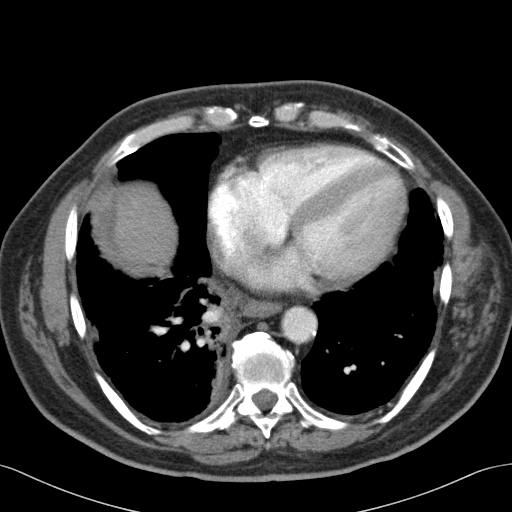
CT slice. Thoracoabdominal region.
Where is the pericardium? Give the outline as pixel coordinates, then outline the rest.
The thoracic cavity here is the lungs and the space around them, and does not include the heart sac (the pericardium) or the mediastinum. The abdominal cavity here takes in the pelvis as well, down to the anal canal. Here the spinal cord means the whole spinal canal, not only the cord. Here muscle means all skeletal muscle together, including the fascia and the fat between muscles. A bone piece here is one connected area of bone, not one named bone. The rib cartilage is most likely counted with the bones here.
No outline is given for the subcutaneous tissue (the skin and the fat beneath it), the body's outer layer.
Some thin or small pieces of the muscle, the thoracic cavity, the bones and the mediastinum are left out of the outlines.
{"pericardium":[[[294,139],[322,139],[367,147],[399,166],[401,174],[409,186],[405,224],[397,243],[393,245],[385,261],[350,289],[325,293],[317,299],[301,293],[287,296],[267,296],[257,292],[249,292],[213,265],[207,244],[208,192],[218,172],[236,154],[256,144]]],"thoracic_cavity":[[[206,132],[220,137],[205,186],[208,279],[233,320],[235,381],[206,416],[159,423],[140,419],[98,362],[78,294],[78,225],[83,213],[89,215],[98,255],[114,270],[135,280],[171,277],[180,242],[172,207],[155,181],[120,181],[114,166],[159,137]],[[420,187],[435,207],[443,234],[437,317],[429,347],[395,402],[383,412],[373,417],[350,415],[339,419],[330,416],[315,408],[292,380],[296,363],[299,366],[312,349],[318,331],[313,304],[325,294],[347,292],[383,263],[393,260],[407,225],[410,193]]],"spinal_cord":[[[263,389],[266,389],[267,390],[270,391],[276,396],[276,401],[275,402],[275,403],[270,409],[269,409],[266,411],[264,411],[263,410],[260,409],[255,404],[255,403],[253,401],[253,396],[255,394],[256,394],[258,392],[259,392],[261,390],[262,390]]],"abdominal_cavity":[[[113,167],[117,170],[115,175],[120,182],[133,179],[145,179],[155,182],[171,207],[179,232],[179,242],[171,267],[171,276],[162,279],[157,277],[135,279],[114,269],[109,263],[100,257],[98,248],[91,236],[90,215],[84,211],[90,194],[100,180]]],"torso":[[[281,79],[336,82],[387,101],[419,123],[488,199],[511,236],[511,331],[499,366],[473,405],[433,438],[395,458],[349,473],[294,481],[238,483],[170,476],[119,462],[51,423],[22,387],[0,329],[3,236],[46,178],[100,124],[125,106],[180,88]]],"bones":[{"outer":[[254,331],[268,333],[293,354],[295,366],[291,380],[315,409],[349,425],[335,430],[314,425],[303,428],[295,409],[282,416],[267,439],[247,416],[240,416],[226,430],[183,432],[187,426],[209,415],[228,396],[236,381],[231,367],[232,342]],"hole":[[263,389],[266,389],[267,390],[270,391],[276,396],[276,401],[275,402],[275,403],[270,409],[269,409],[266,411],[264,411],[263,410],[260,409],[255,404],[255,403],[253,401],[253,396],[255,394],[256,394],[258,392],[259,392],[261,390],[262,390]]},[[312,110],[321,110],[336,114],[360,125],[368,132],[375,132],[385,136],[411,159],[415,168],[410,171],[402,167],[385,154],[376,150],[362,138],[359,133],[352,130],[346,130],[339,127],[307,127],[305,129],[302,128],[301,122],[306,120],[307,114]],[[185,115],[191,115],[195,117],[194,128],[181,132],[169,133],[159,136],[144,144],[135,151],[124,156],[118,160],[113,166],[108,166],[107,165],[107,161],[111,154],[119,146],[123,139],[130,133],[138,131],[151,123],[155,123],[165,119],[175,118]],[[434,347],[436,348],[436,352],[435,353],[435,356],[434,357],[433,362],[425,378],[408,402],[400,410],[400,411],[389,421],[385,423],[372,423],[372,422],[375,419],[383,415],[394,405],[400,396],[403,389],[411,379],[419,367],[422,360],[428,351]],[[94,371],[97,371],[104,377],[107,382],[123,400],[131,411],[133,412],[140,420],[148,425],[150,425],[157,429],[161,430],[162,433],[160,434],[153,434],[152,435],[147,434],[143,431],[138,429],[126,420],[117,411],[103,393],[98,382],[94,376]],[[214,105],[232,108],[238,114],[237,120],[236,120],[230,127],[224,129],[221,128],[215,128],[214,127],[208,127],[206,129],[200,129],[198,128],[198,126],[204,122],[202,118],[203,115],[203,108],[205,106],[213,106]],[[73,204],[75,204],[77,207],[77,217],[78,218],[77,219],[78,220],[78,224],[77,225],[77,239],[76,240],[76,246],[75,247],[75,255],[71,261],[68,261],[66,257],[66,253],[65,252],[65,227],[66,226],[67,217],[68,216],[70,208]],[[297,101],[303,101],[305,103],[305,105],[301,109],[301,111],[296,120],[294,121],[291,121],[290,122],[287,122],[286,123],[280,123],[278,121],[276,121],[273,118],[273,110],[274,108],[282,104],[284,104],[285,103],[289,103],[290,102],[296,102]],[[439,195],[445,200],[445,201],[448,204],[451,211],[452,219],[453,220],[453,232],[452,233],[452,236],[450,239],[448,239],[445,236],[444,236],[444,234],[443,233],[443,229],[441,225],[441,222],[436,210],[436,198],[437,196]],[[71,292],[73,292],[76,295],[79,301],[79,303],[80,304],[80,306],[84,316],[84,319],[86,324],[86,334],[83,339],[80,338],[73,323],[73,320],[71,315],[71,311],[70,310],[70,304],[69,303],[69,296]],[[447,261],[449,262],[450,266],[451,267],[452,282],[451,283],[451,291],[450,292],[449,299],[448,300],[447,304],[445,306],[439,299],[439,284],[440,283],[440,278],[441,277],[441,272],[442,271],[442,268],[443,267],[443,265],[444,263]]],"mediastinum":[[[210,257],[214,267],[249,293],[267,297],[287,297],[301,294],[314,300],[320,298],[312,304],[318,322],[315,338],[311,349],[299,365],[294,354],[266,331],[254,330],[232,341],[234,320],[226,312],[221,298],[216,293],[216,286],[209,279],[212,272]],[[240,123],[253,128],[265,127],[271,123],[304,130],[309,128],[339,128],[359,136],[375,150],[359,144],[322,138],[261,141],[243,149],[229,159],[217,172],[208,191],[206,186],[209,168],[218,153],[221,137],[213,131],[182,132],[195,128],[224,130]],[[400,166],[402,168],[411,172],[415,179],[417,180],[417,182],[421,186],[421,187],[420,186],[419,187],[416,187],[412,189],[410,191],[409,195],[409,189],[410,188],[410,186],[408,185],[408,183],[406,180],[406,178],[402,174],[402,170],[400,168]]],"muscle":[[[305,102],[359,114],[396,135],[457,190],[499,266],[502,306],[496,322],[445,393],[401,429],[359,448],[296,457],[266,449],[246,461],[210,465],[181,452],[152,449],[124,438],[58,386],[23,336],[17,306],[28,256],[62,196],[90,173],[114,143],[148,123],[122,139],[108,157],[106,165],[112,167],[89,194],[79,222],[78,207],[73,203],[64,227],[65,257],[71,262],[75,256],[78,298],[73,291],[68,296],[72,323],[80,339],[85,338],[87,330],[89,333],[105,376],[97,370],[93,376],[126,421],[152,436],[163,431],[142,420],[159,424],[194,420],[183,433],[209,433],[226,431],[240,417],[247,417],[267,440],[283,416],[295,410],[303,429],[314,426],[335,431],[350,425],[341,417],[373,418],[392,404],[371,422],[385,424],[426,378],[437,352],[435,346],[428,350],[436,328],[437,301],[445,307],[452,291],[452,267],[443,256],[444,237],[450,240],[454,232],[451,208],[439,194],[434,205],[412,173],[416,168],[412,159],[385,135],[321,109],[310,110],[301,127],[282,124],[296,121]],[[276,98],[281,98],[282,99],[287,99],[288,100],[296,101],[285,102],[273,108],[272,110],[272,118],[276,122],[278,122],[271,122],[271,119],[269,117],[262,114],[254,113],[248,117],[246,123],[241,123],[240,122],[232,125],[238,120],[239,118],[239,114],[230,106],[219,105],[228,105],[235,102],[241,102],[250,108],[253,112],[255,113],[259,113],[264,109],[264,107],[266,104],[269,103],[272,100]],[[201,105],[205,105],[202,108],[202,115],[201,116],[203,122],[200,123],[197,127],[195,127],[196,117],[191,114],[185,114],[175,117],[169,117],[159,121],[151,122],[158,117],[165,117],[176,110],[182,109],[183,108],[187,108],[188,107],[200,106]]]}